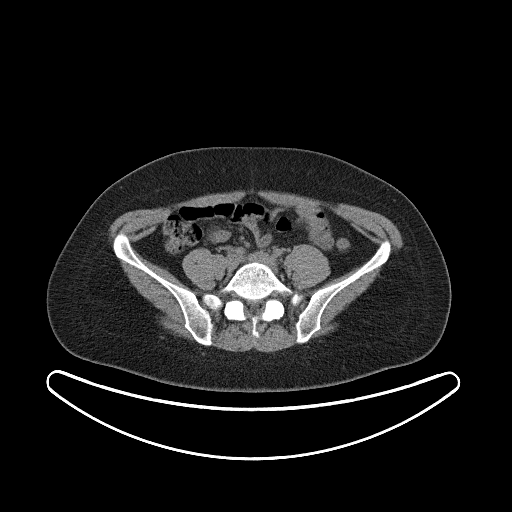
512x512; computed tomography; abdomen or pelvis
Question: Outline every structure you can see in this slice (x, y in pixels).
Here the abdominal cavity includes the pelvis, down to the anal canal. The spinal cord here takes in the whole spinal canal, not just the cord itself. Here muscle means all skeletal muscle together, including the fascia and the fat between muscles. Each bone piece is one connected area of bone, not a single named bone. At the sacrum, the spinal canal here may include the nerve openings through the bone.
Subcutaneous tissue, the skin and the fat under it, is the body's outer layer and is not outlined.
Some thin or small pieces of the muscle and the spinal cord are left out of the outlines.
Answer: The bones appear in 3 outlined pieces: piece 1: [[252,261],[266,264],[282,283],[303,295],[294,306],[279,290],[270,293],[266,298],[280,298],[284,313],[279,319],[260,321],[258,337],[248,319],[230,320],[222,308],[212,310],[201,300],[212,293],[244,302],[232,290],[226,294],[219,290],[240,266]] with a hole at [[250,301],[262,301],[264,303],[264,307],[263,308],[263,313],[259,317],[249,317],[247,315],[247,313],[246,312],[246,311],[245,310],[245,309],[244,308],[244,304],[246,302],[249,302]]; piece 2: [[119,232],[122,232],[127,236],[135,254],[148,268],[171,283],[189,289],[195,294],[201,306],[208,311],[211,319],[211,345],[202,345],[194,339],[185,327],[185,319],[179,303],[163,285],[143,270],[116,257],[112,248],[112,244],[114,238]]; piece 3: [[386,239],[389,241],[391,247],[390,255],[387,261],[365,273],[340,290],[329,301],[323,310],[320,318],[320,328],[305,343],[298,344],[296,342],[297,333],[295,324],[299,314],[307,305],[312,294],[319,288],[339,282],[351,275],[374,254],[381,242]]. The muscle appears in 5 outlined pieces: piece 1: [[302,244],[314,247],[327,258],[330,273],[314,287],[318,288],[297,316],[294,324],[297,344],[271,352],[229,351],[211,346],[212,319],[191,290],[197,287],[184,272],[183,258],[198,248],[223,257],[224,273],[213,289],[227,298],[205,292],[200,300],[212,311],[222,309],[230,321],[248,320],[252,336],[258,338],[260,322],[279,320],[284,315],[281,298],[288,298],[294,307],[304,298],[293,290],[283,269],[285,258]]; piece 2: [[251,188],[293,193],[334,203],[350,204],[377,212],[397,227],[403,246],[386,263],[392,250],[387,238],[382,240],[377,247],[349,222],[323,205],[285,206],[270,202],[254,193],[246,194],[226,204],[177,207],[157,228],[135,242],[134,247],[142,257],[166,269],[189,288],[180,286],[148,267],[136,254],[128,236],[122,231],[119,231],[112,240],[111,248],[114,256],[107,241],[111,223],[128,211],[167,206],[210,193]]; piece 3: [[118,259],[146,273],[163,286],[174,297],[181,310],[184,319],[184,327],[189,332],[196,342],[192,342],[187,339],[175,336],[169,333],[158,324],[156,315],[159,314],[160,311],[154,307],[149,301],[138,293],[136,289],[130,283],[127,276],[123,271]]; piece 4: [[382,265],[383,265],[383,267],[381,269],[379,275],[368,288],[352,301],[345,309],[335,317],[334,320],[339,323],[338,327],[335,330],[326,335],[322,335],[308,341],[321,328],[321,318],[324,310],[330,301],[344,288],[353,283],[365,274],[373,271]]; piece 5: [[356,267],[359,267],[351,274],[350,274],[345,278],[344,278],[339,281],[337,281],[336,282],[331,283],[328,285],[326,285],[325,286],[323,286],[322,287],[319,287],[325,282],[328,281],[330,279],[331,279],[332,278],[336,278],[339,276],[341,276]]. The torso is outlined by [[231,145],[298,147],[327,153],[383,179],[409,198],[440,247],[451,284],[451,305],[446,327],[429,354],[407,365],[332,386],[282,392],[222,392],[162,383],[81,359],[62,347],[48,321],[47,283],[65,242],[93,201],[127,173],[161,156],[186,149]]. The spinal cord appears in 2 outlined pieces: piece 1: [[250,301],[262,301],[264,303],[264,307],[263,308],[263,313],[259,317],[249,317],[247,315],[247,313],[246,312],[246,311],[245,310],[245,309],[244,308],[244,304],[246,302],[249,302]]; piece 2: [[229,291],[232,291],[233,292],[234,292],[235,293],[236,293],[238,295],[239,295],[242,298],[243,298],[244,299],[244,301],[242,301],[241,300],[237,300],[236,299],[231,299],[230,298],[229,298],[228,297],[228,295],[227,294],[228,293],[228,292]]. The abdominal cavity is outlined by [[253,194],[285,207],[323,206],[376,249],[360,266],[315,287],[331,273],[329,260],[314,246],[298,244],[282,265],[293,289],[269,265],[252,260],[218,290],[224,257],[198,247],[181,260],[196,287],[191,289],[142,256],[136,242],[177,208],[226,205]].